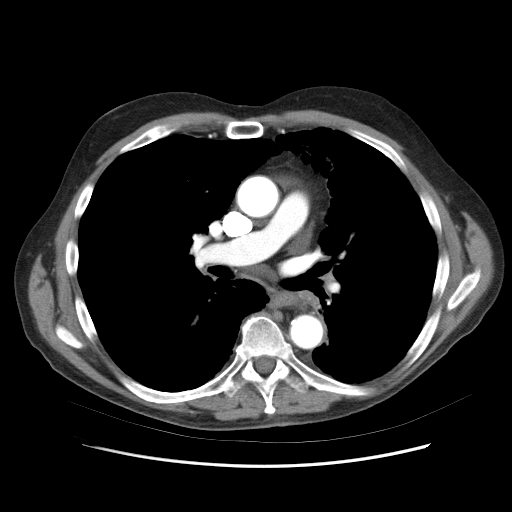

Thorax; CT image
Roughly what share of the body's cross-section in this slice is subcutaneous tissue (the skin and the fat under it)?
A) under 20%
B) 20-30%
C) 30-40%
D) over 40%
A) under 20%
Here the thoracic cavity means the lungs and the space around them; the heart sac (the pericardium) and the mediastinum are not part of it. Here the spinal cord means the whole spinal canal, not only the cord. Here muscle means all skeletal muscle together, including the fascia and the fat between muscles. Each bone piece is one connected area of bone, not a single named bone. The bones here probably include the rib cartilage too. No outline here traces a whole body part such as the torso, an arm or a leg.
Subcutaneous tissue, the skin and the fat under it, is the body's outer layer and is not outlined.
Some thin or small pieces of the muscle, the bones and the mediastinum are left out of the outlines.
pericardium: (280, 166) (288, 166) (297, 169) (306, 175) (311, 185) (312, 197) (314, 204) (314, 211) (315, 212) (313, 237) (310, 249) (304, 254) (293, 256) (281, 260) (261, 261) (256, 257) (237, 246) (229, 239) (222, 227) (222, 219) (241, 182) (249, 175) (259, 170) (279, 167)
muscle: (300, 109) (351, 118) (395, 140) (439, 192) (451, 217) (463, 225) (461, 211) (467, 212) (491, 244) (494, 273) (486, 292) (412, 373) (379, 395) (340, 400) (323, 411) (220, 420) (134, 401) (87, 376) (46, 342) (28, 301) (30, 271) (39, 253) (46, 266) (53, 265) (59, 223) (98, 158) (149, 121) (182, 112) (213, 111) (238, 119) (225, 123) (225, 137) (215, 132) (172, 133) (175, 126) (155, 124) (124, 144) (95, 184) (88, 182) (77, 198) (73, 211) (79, 219) (77, 242) (69, 238) (64, 250) (66, 271) (76, 275) (82, 294) (74, 296) (74, 308) (85, 336) (92, 343) (99, 339) (127, 375) (117, 373) (119, 382) (156, 404) (220, 393) (231, 398) (249, 382) (264, 401) (263, 412) (272, 415) (279, 381) (300, 393) (313, 387) (368, 396) (375, 389) (358, 384) (400, 362) (404, 362) (401, 371) (408, 368) (436, 331) (442, 308) (427, 317) (427, 313) (432, 299) (442, 297) (450, 274) (448, 252) (438, 255) (436, 236) (442, 234) (442, 223) (437, 206) (425, 190) (416, 192) (401, 156) (377, 137) (350, 126) (345, 131) (295, 126) (265, 132) (260, 121) (243, 119) with holes at (476, 268) (479, 268) (480, 269) (480, 276) (475, 287) (464, 298) (464, 299) (458, 304) (458, 305) (457, 305) (454, 308) (450, 310) (448, 310) (446, 308) (446, 305) (447, 304) (447, 302) (449, 298) (457, 288) (459, 283) (461, 281) (463, 277) (466, 274) (472, 272) and at (58, 324) (59, 325) (61, 325) (65, 327) (69, 331) (70, 331) (77, 338) (77, 339) (79, 340) (82, 343) (83, 346) (81, 348) (75, 348) (65, 343) (62, 340) (61, 340) (57, 336) (56, 334) (56, 332) (55, 331) (55, 328)
spinal cord: (261, 356) (268, 356) (269, 357) (271, 357) (274, 359) (274, 367) (273, 368) (273, 369) (269, 373) (268, 373) (267, 374) (262, 374) (261, 373) (260, 373) (259, 372) (258, 372) (256, 370) (256, 369) (255, 368) (255, 359) (256, 358) (257, 358) (258, 357) (260, 357)
mediastinum 1: (283, 150) (327, 178) (330, 196) (321, 258) (279, 282) (308, 289) (323, 311) (327, 343) (301, 360) (275, 321) (250, 314) (269, 300) (264, 288) (213, 264) (209, 240) (209, 225) (222, 217) (228, 239) (261, 262) (311, 249) (316, 212) (307, 175) (288, 165) (248, 175)
mediastinum 2: (295, 127) (307, 127) (310, 128) (303, 128) (298, 130) (287, 131) (284, 133) (282, 132) (279, 133) (275, 137) (275, 140) (274, 141) (270, 139) (266, 139) (263, 137) (261, 137) (262, 137) (266, 132) (270, 130) (281, 130) (282, 129) (288, 129) (289, 128) (294, 128)
thoracic cavity: (316, 127) (387, 157) (435, 234) (431, 300) (404, 356) (357, 384) (302, 360) (328, 343) (324, 311) (280, 282) (322, 258) (331, 196) (283, 149) (208, 225) (212, 264) (268, 298) (241, 322) (232, 360) (179, 391) (132, 378) (77, 276) (103, 172) (175, 133) (274, 142)
bones 1: (250, 315) (275, 322) (300, 361) (343, 383) (373, 388) (368, 395) (313, 386) (300, 392) (279, 380) (272, 395) (275, 411) (269, 414) (249, 381) (231, 397) (220, 392) (156, 403) (137, 396) (117, 377) (125, 375) (163, 392) (196, 388) (231, 363) (241, 341) (240, 326), around a hole outlined by (261, 356) (268, 356) (269, 357) (271, 357) (274, 359) (274, 367) (273, 368) (273, 369) (269, 373) (268, 373) (267, 374) (262, 374) (261, 373) (260, 373) (259, 372) (258, 372) (256, 370) (256, 369) (255, 368) (255, 359) (256, 358) (257, 358) (258, 357) (260, 357)
bones 2: (438, 307) (440, 307) (441, 308) (440, 317) (439, 318) (437, 326) (435, 329) (435, 331) (428, 345) (425, 348) (422, 353) (408, 367) (403, 370) (401, 370) (401, 369) (405, 364) (405, 362) (404, 361) (401, 361) (402, 359) (405, 356) (407, 351) (418, 336) (427, 318)
bones 3: (231, 120) (254, 120) (255, 121) (258, 121) (263, 125) (263, 127) (264, 128) (264, 133) (263, 135) (260, 137) (253, 137) (252, 138) (240, 138) (239, 139) (233, 139) (232, 138) (226, 137) (225, 133) (224, 132) (225, 126) (226, 125) (226, 123) (228, 121) (230, 121)
bones 4: (349, 127) (356, 129) (359, 131) (361, 131) (375, 138) (377, 138) (390, 145) (397, 152) (404, 162) (406, 167) (406, 171) (405, 172) (403, 172) (387, 156) (386, 156) (382, 152) (373, 146) (366, 143) (364, 141) (358, 138) (356, 138) (352, 136) (346, 132) (347, 128)
bones 5: (158, 124) (166, 124) (170, 127) (175, 127) (176, 129) (173, 132) (164, 137) (159, 138) (154, 141) (152, 141) (140, 147) (138, 147) (137, 148) (126, 151) (120, 154) (119, 153) (119, 150) (124, 145) (136, 138) (139, 135) (140, 135) (149, 128)
bones 6: (476, 268) (479, 268) (480, 269) (480, 276) (475, 287) (464, 298) (464, 299) (458, 304) (458, 305) (457, 305) (454, 308) (450, 310) (448, 310) (446, 308) (446, 305) (447, 304) (447, 302) (449, 298) (457, 288) (459, 283) (461, 281) (463, 277) (466, 274) (472, 272)
bones 7: (443, 251) (446, 251) (448, 254) (448, 257) (449, 258) (449, 274) (448, 275) (447, 281) (446, 282) (446, 284) (445, 285) (445, 287) (441, 297) (440, 298) (438, 298) (437, 297) (432, 298) (432, 290) (433, 289) (433, 285) (434, 284) (435, 276) (436, 275) (438, 256)
bones 8: (77, 295) (81, 297) (83, 299) (84, 303) (87, 308) (88, 313) (92, 320) (94, 327) (97, 332) (98, 338) (96, 339) (94, 341) (94, 342) (92, 342) (86, 336) (79, 322) (79, 320) (77, 316) (77, 313) (76, 312) (76, 309) (75, 308) (75, 296)
bones 9: (422, 191) (425, 191) (428, 194) (429, 194) (436, 206) (436, 208) (439, 215) (440, 222) (441, 223) (441, 234) (439, 236) (437, 236) (436, 235) (434, 230) (430, 225) (429, 221) (427, 218) (427, 216) (425, 213) (422, 202) (418, 194) (419, 192) (421, 192)
bones 10: (71, 238) (72, 238) (77, 243) (77, 248) (78, 249) (78, 260) (77, 261) (77, 271) (76, 272) (76, 274) (72, 276) (69, 275) (67, 271) (67, 269) (66, 268) (66, 263) (65, 262) (65, 250) (66, 249) (66, 244) (68, 240)
bones 11: (91, 182) (94, 184) (94, 187) (91, 193) (91, 195) (90, 196) (89, 201) (82, 215) (80, 217) (80, 218) (75, 218) (74, 217) (74, 211) (75, 210) (75, 207) (76, 206) (76, 204) (77, 203) (78, 198) (82, 190) (84, 188) (84, 187) (88, 183) (90, 183)
bones 12: (58, 324) (59, 325) (61, 325) (65, 327) (69, 331) (70, 331) (77, 338) (77, 339) (79, 340) (82, 343) (83, 346) (81, 348) (75, 348) (65, 343) (62, 340) (61, 340) (57, 336) (56, 334) (56, 332) (55, 331) (55, 328)